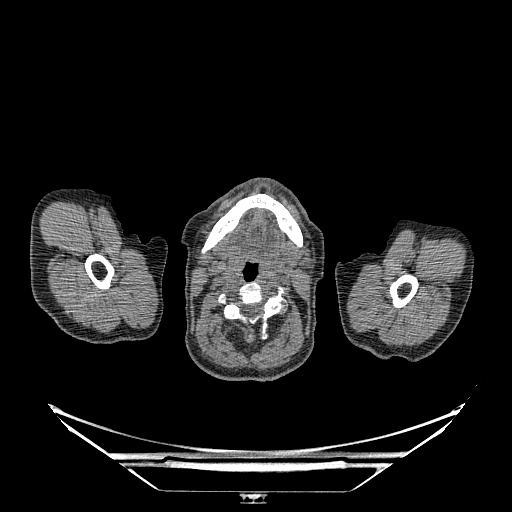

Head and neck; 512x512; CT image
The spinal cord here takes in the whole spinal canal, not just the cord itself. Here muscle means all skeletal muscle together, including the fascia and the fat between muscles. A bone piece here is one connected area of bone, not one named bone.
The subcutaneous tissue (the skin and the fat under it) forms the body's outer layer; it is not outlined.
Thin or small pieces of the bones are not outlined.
Outlined structures:
bones 1: [[261,192],[274,197],[288,209],[299,226],[303,237],[303,246],[300,248],[298,247],[288,238],[280,229],[275,215],[270,210],[266,208],[252,207],[243,213],[235,227],[230,232],[227,233],[213,247],[202,254],[201,249],[214,224],[238,200],[248,195]]
bones 2: [[253,280],[266,292],[275,293],[278,285],[284,288],[285,311],[267,319],[267,336],[264,339],[260,337],[260,322],[253,325],[251,330],[250,325],[238,319],[226,318],[223,312],[225,306],[217,300],[221,293],[231,298],[235,296],[243,284]], around a hole outlined by [[263,301],[263,306],[262,307],[262,312],[261,313],[256,315],[254,317],[248,317],[247,316],[246,316],[241,312],[241,311],[240,310],[240,308],[239,307],[239,305],[240,304],[244,304],[245,305],[250,305],[251,304],[255,304],[256,303],[260,303]]
bones 3: [[92,253],[99,253],[105,256],[106,258],[111,263],[111,264],[114,268],[114,274],[111,279],[110,286],[107,289],[102,290],[98,288],[94,284],[94,283],[89,277],[89,276],[86,272],[86,270],[84,266],[84,262],[85,261],[86,257],[88,255]]
bones 4: [[404,273],[411,273],[413,274],[417,278],[419,285],[417,288],[417,290],[415,294],[411,298],[411,299],[404,306],[400,308],[397,308],[396,307],[394,307],[392,304],[392,300],[389,294],[389,287],[390,286],[390,284],[393,281],[394,281],[399,276]]
right arm: [[58,188],[89,188],[108,194],[126,235],[136,233],[143,243],[153,236],[161,236],[166,240],[168,252],[162,279],[164,308],[159,327],[151,337],[113,343],[91,343],[80,340],[62,331],[34,300],[30,286],[29,266],[31,216],[39,199],[47,192]]
muscle 1: [[259,183],[274,187],[278,191],[281,192],[294,205],[299,212],[301,219],[314,242],[316,262],[313,267],[313,271],[311,273],[310,299],[309,300],[309,310],[310,311],[309,333],[303,346],[299,352],[294,356],[293,359],[278,367],[266,371],[258,371],[254,369],[234,370],[217,366],[203,358],[201,356],[190,332],[191,326],[190,281],[192,273],[192,245],[198,228],[207,221],[224,200],[235,195],[247,186]]; inner edges: [[248,262],[257,264],[257,274],[253,279],[264,291],[275,293],[278,285],[284,288],[285,311],[267,319],[264,339],[260,337],[260,322],[251,330],[250,325],[238,319],[226,318],[225,306],[217,300],[221,293],[231,298],[236,295],[247,281],[243,269]], then [[261,192],[274,197],[288,209],[299,226],[303,237],[303,246],[300,248],[298,247],[288,238],[280,229],[275,215],[270,210],[266,208],[252,207],[243,213],[235,227],[230,232],[227,233],[213,247],[202,254],[201,249],[214,224],[238,200],[248,195]]
muscle 2: [[59,198],[78,200],[88,199],[102,203],[110,212],[124,245],[134,248],[145,255],[148,269],[155,282],[158,297],[158,305],[154,320],[147,328],[138,329],[122,323],[104,334],[90,330],[73,321],[57,304],[48,286],[39,231],[39,217],[48,203]]; inner edge: [[92,253],[99,253],[105,256],[106,258],[111,263],[111,264],[114,268],[114,274],[111,279],[110,286],[107,289],[102,290],[98,288],[94,284],[94,283],[89,277],[89,276],[86,272],[86,270],[84,266],[84,262],[85,261],[86,257],[88,255]]
muscle 3: [[405,227],[434,234],[450,234],[456,237],[463,243],[466,249],[466,259],[465,266],[451,301],[449,315],[442,327],[437,333],[418,346],[395,347],[386,345],[381,341],[355,332],[349,326],[345,306],[349,289],[355,280],[362,264],[380,263],[399,231]] with a hole at [[404,273],[411,273],[413,274],[417,278],[419,285],[417,288],[417,290],[415,294],[411,298],[411,299],[404,306],[400,308],[397,308],[396,307],[394,307],[392,304],[392,300],[389,294],[389,287],[390,286],[390,284],[393,281],[394,281],[399,276]]
left arm: [[400,219],[411,219],[458,228],[469,238],[474,251],[472,287],[459,323],[451,335],[432,354],[418,361],[409,361],[397,356],[384,360],[367,350],[354,346],[343,332],[338,311],[335,264],[338,261],[349,261],[364,252],[380,253],[386,245],[388,236]]
head and neck: [[257,176],[271,177],[287,186],[323,234],[325,261],[323,278],[316,286],[314,345],[308,358],[299,367],[279,378],[267,381],[224,380],[200,369],[191,359],[185,345],[184,273],[187,251],[180,240],[184,226],[191,216],[205,209],[235,185]], around a hole outlined by [[248,262],[249,263],[253,263],[254,264],[255,263],[256,264],[257,264],[257,274],[255,276],[255,277],[252,280],[251,280],[250,281],[247,281],[245,279],[245,278],[244,277],[244,274],[243,273],[243,269],[244,268],[244,266],[245,265],[245,264]]
spinal cord: [[263,301],[263,306],[262,307],[262,312],[261,313],[256,315],[254,317],[248,317],[247,316],[246,316],[241,312],[241,311],[240,310],[240,308],[239,307],[239,305],[240,304],[244,304],[245,305],[250,305],[251,304],[255,304],[256,303],[260,303]]